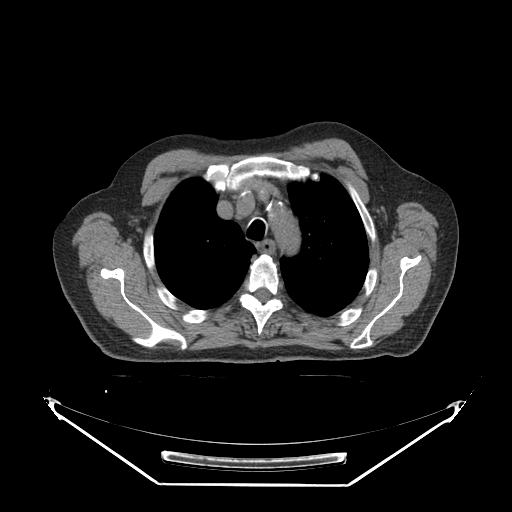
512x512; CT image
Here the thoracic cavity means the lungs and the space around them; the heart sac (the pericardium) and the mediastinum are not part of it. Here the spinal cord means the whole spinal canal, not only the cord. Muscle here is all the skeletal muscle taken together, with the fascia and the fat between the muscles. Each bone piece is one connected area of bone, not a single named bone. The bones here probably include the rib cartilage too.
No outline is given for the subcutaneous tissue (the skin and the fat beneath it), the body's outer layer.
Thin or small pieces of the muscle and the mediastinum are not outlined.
The bones appear in 10 outlined pieces: piece 1: 258 154; 268 154; 308 167; 312 172; 317 172; 319 174; 319 179; 317 181; 309 178; 304 181; 282 181; 271 176; 254 175; 243 180; 236 189; 226 188; 222 191; 216 191; 212 185; 202 177; 210 165; 221 163; 231 165; 249 155; piece 2: 261 254; 269 255; 277 264; 279 276; 283 283; 281 297; 284 305; 281 309; 274 311; 270 315; 265 322; 262 331; 259 335; 257 332; 257 324; 254 316; 249 310; 242 307; 236 301; 236 293; 241 287; 248 274; 249 265; 251 261, around a hole outlined by 259 288; 265 288; 266 289; 267 289; 269 291; 269 292; 271 294; 271 297; 269 299; 268 299; 265 302; 262 302; 261 301; 260 301; 253 294; 253 293; 256 290; 257 290; piece 3: 104 267; 111 270; 121 268; 124 272; 124 292; 127 298; 156 323; 184 336; 187 347; 182 350; 181 343; 176 339; 165 339; 152 347; 134 342; 132 337; 148 336; 151 325; 125 301; 120 282; 116 278; 106 279; 101 276; 100 271; piece 4: 417 255; 421 256; 420 261; 416 265; 410 267; 403 276; 403 289; 401 296; 374 322; 370 329; 370 337; 373 344; 364 348; 350 348; 349 344; 353 338; 357 336; 398 293; 399 276; 401 272; 399 264; 400 259; 404 256; 412 258; piece 5: 345 181; 348 181; 354 187; 371 216; 371 218; 374 223; 374 228; 375 229; 375 233; 376 234; 374 242; 371 242; 367 236; 367 234; 366 233; 362 219; 360 216; 360 214; 352 198; 350 196; 348 191; 345 187; piece 6: 151 225; 152 226; 152 230; 153 231; 153 254; 154 255; 154 261; 155 262; 155 268; 154 268; 152 270; 152 271; 151 271; 146 265; 146 263; 143 256; 143 251; 142 250; 142 243; 143 242; 144 234; 146 231; 146 229; piece 7: 358 306; 360 306; 362 308; 362 311; 359 317; 356 320; 355 320; 353 322; 347 325; 344 325; 343 326; 340 326; 336 324; 336 323; 338 321; 338 318; 336 316; 336 315; 338 313; 341 312; 345 309; 347 309; 351 307; 357 307; piece 8: 192 308; 194 309; 206 309; 207 310; 209 310; 208 311; 208 316; 207 318; 206 318; 201 322; 199 322; 198 323; 189 323; 188 322; 186 322; 184 321; 182 319; 182 315; 184 313; 185 313; 187 311; 188 311; piece 9: 161 285; 164 285; 165 287; 174 296; 175 296; 178 299; 178 300; 176 302; 176 304; 178 307; 177 309; 173 309; 172 308; 170 308; 168 306; 167 306; 160 299; 156 291; 156 288; 158 286; 160 286; piece 10: 371 267; 375 267; 377 269; 377 278; 376 279; 376 282; 375 283; 375 285; 372 291; 368 296; 365 297; 364 296; 364 290; 362 288; 362 287; 363 286; 363 284; 364 283; 364 281; 365 280; 365 278; 366 277; 367 272; 369 268. The thoracic cavity appears in 2 outlined pieces: piece 1: 191 177; 201 177; 211 185; 217 195; 216 215; 222 220; 232 221; 237 224; 243 238; 255 249; 250 258; 247 274; 235 294; 221 305; 209 309; 191 307; 174 295; 163 283; 157 271; 154 254; 154 232; 162 207; 176 186; 183 180; piece 2: 322 173; 335 178; 351 198; 367 237; 369 257; 368 269; 357 295; 347 308; 329 316; 308 312; 295 303; 284 290; 284 283; 279 270; 280 259; 297 256; 302 246; 299 218; 292 209; 288 184; 289 182; 304 182; 308 179; 317 182. The torso is outlined by 321 120; 341 122; 365 134; 401 166; 444 189; 454 204; 459 225; 455 272; 419 348; 403 357; 259 363; 138 362; 104 354; 67 302; 55 271; 53 232; 68 210; 82 197; 106 187; 133 153; 165 136; 197 133; 243 139; 278 134. The mediastinum is outlined by 254 176; 288 182; 287 193; 291 209; 298 218; 301 232; 299 253; 293 257; 282 256; 278 267; 267 253; 261 253; 251 260; 256 249; 244 238; 239 225; 232 220; 220 218; 216 212; 218 201; 216 192; 226 189; 236 190; 243 181. The muscle appears in 2 outlined pieces: piece 1: 329 137; 345 140; 357 154; 367 175; 374 220; 382 242; 389 239; 396 208; 404 202; 424 204; 435 214; 439 224; 436 262; 425 296; 391 337; 372 346; 371 329; 402 296; 404 276; 421 261; 420 254; 399 259; 398 291; 349 342; 350 349; 358 350; 325 350; 298 344; 184 350; 188 347; 184 335; 156 322; 128 298; 125 272; 119 266; 112 269; 104 266; 99 274; 103 279; 119 282; 122 298; 149 323; 150 332; 146 336; 132 336; 130 339; 136 345; 99 313; 81 275; 72 245; 73 232; 87 215; 102 211; 113 218; 131 245; 139 247; 145 223; 139 192; 146 166; 155 156; 186 147; 222 154; 280 151; 304 141 with a hole at 258 154; 328 174; 344 187; 348 181; 367 208; 376 234; 374 242; 367 239; 368 267; 377 269; 377 278; 368 296; 362 288; 347 307; 362 308; 353 322; 340 326; 335 314; 308 312; 283 290; 283 307; 259 335; 254 316; 235 294; 198 323; 182 319; 192 308; 188 304; 179 299; 173 309; 158 296; 156 288; 164 284; 157 269; 147 267; 142 243; 149 226; 155 231; 170 193; 212 164; piece 2: 165 340; 176 340; 177 341; 178 341; 180 343; 180 344; 179 345; 179 348; 181 350; 177 350; 176 351; 171 351; 170 350; 154 350; 153 349; 150 349; 149 348; 147 348; 152 348; 153 347; 154 347; 157 344; 158 344. The spinal cord is outlined by 259 288; 265 288; 266 289; 267 289; 269 291; 269 292; 271 294; 271 297; 269 299; 268 299; 265 302; 262 302; 261 301; 260 301; 253 294; 253 293; 256 290; 257 290.